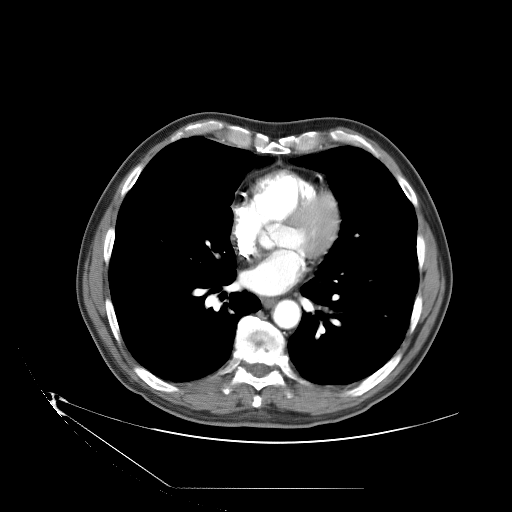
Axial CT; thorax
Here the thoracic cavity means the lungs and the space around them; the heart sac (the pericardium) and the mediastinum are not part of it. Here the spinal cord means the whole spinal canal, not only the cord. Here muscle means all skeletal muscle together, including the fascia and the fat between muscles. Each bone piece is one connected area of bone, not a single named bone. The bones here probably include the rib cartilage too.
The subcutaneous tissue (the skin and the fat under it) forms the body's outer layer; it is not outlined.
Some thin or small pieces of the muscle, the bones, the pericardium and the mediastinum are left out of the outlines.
Outlines:
pericardium: [[278,162],[317,172],[327,183],[337,202],[340,223],[337,237],[317,269],[310,277],[300,285],[288,291],[278,295],[265,296],[258,295],[251,291],[238,280],[238,263],[230,240],[233,224],[233,211],[231,206],[236,199],[238,188],[248,175]]
mediastinum 1: [[314,274],[313,277],[305,282],[299,290],[303,300],[303,313],[300,323],[297,326],[295,331],[287,339],[287,341],[282,332],[271,322],[262,319],[256,315],[249,314],[256,312],[262,306],[260,300],[255,294],[258,296],[265,297],[278,296],[300,286]]
mediastinum 2: [[251,149],[258,153],[273,155],[309,153],[291,158],[289,161],[292,164],[296,166],[305,168],[309,168],[315,171],[312,171],[278,161],[267,167],[252,171],[242,181],[247,173],[253,168],[255,167],[260,168],[266,166],[272,163],[274,160],[270,156],[265,155],[257,156],[250,150]]
muscle 1: [[134,166],[120,190],[122,201],[115,224],[110,226],[104,235],[102,255],[104,264],[108,267],[110,293],[110,297],[104,299],[104,307],[113,337],[119,345],[123,341],[139,364],[133,366],[133,371],[151,388],[166,393],[179,392],[181,389],[170,382],[189,382],[215,372],[219,376],[233,372],[221,385],[220,390],[225,395],[229,394],[235,386],[244,383],[252,386],[257,392],[264,387],[275,386],[282,390],[287,398],[292,398],[293,391],[287,386],[283,375],[303,385],[314,383],[348,386],[358,383],[344,390],[341,394],[343,396],[357,397],[373,388],[401,360],[403,354],[398,349],[406,332],[410,335],[414,331],[422,312],[423,299],[418,287],[426,243],[424,237],[417,232],[415,208],[418,207],[418,199],[415,191],[434,236],[445,279],[442,302],[426,340],[395,379],[381,390],[357,405],[318,416],[272,408],[257,408],[262,404],[262,398],[258,393],[252,397],[250,404],[254,408],[252,409],[214,414],[170,402],[144,388],[131,380],[115,362],[86,310],[82,293],[84,265],[97,227],[118,185]]
muscle 2: [[339,126],[354,130],[375,141],[393,158],[408,181],[402,175],[398,173],[393,175],[389,169],[379,159],[381,156],[380,152],[360,134],[351,133],[340,128],[336,128],[329,131],[327,133],[327,137],[332,142],[341,144],[323,148],[323,137],[320,131]]
muscle 3: [[184,125],[186,125],[185,125],[181,129],[177,130],[174,132],[169,137],[169,142],[170,143],[158,151],[157,153],[156,153],[146,164],[144,163],[138,163],[140,161],[141,158],[154,145],[160,142],[166,137],[169,136],[174,131],[177,130],[180,127]]
spinal cord: [[256,363],[259,363],[260,364],[264,364],[268,366],[269,367],[269,371],[265,375],[263,376],[261,376],[260,377],[258,377],[257,376],[255,376],[253,375],[249,371],[248,368],[249,367],[249,365],[251,365],[252,364],[255,364]]
thoracic cavity 1: [[193,136],[205,136],[273,160],[246,173],[230,205],[229,240],[236,259],[236,279],[257,297],[261,306],[238,320],[231,355],[223,366],[197,379],[174,382],[164,380],[141,365],[126,346],[111,299],[108,272],[115,225],[125,196],[158,152],[171,143]]
thoracic cavity 2: [[342,144],[361,148],[378,159],[395,178],[413,206],[417,222],[415,248],[418,286],[404,338],[384,364],[356,383],[318,384],[295,371],[285,350],[288,339],[302,321],[304,300],[300,290],[314,277],[338,237],[341,215],[326,176],[290,160]]
torso: [[205,111],[264,121],[324,116],[357,120],[389,138],[424,182],[450,252],[453,284],[449,304],[415,371],[365,412],[337,423],[303,429],[197,424],[170,415],[129,391],[100,355],[80,314],[75,290],[78,254],[89,217],[113,174],[144,139],[173,120]]
bones 1: [[246,315],[268,321],[281,332],[291,367],[310,383],[303,384],[283,374],[286,386],[292,391],[292,397],[287,397],[275,385],[267,385],[257,391],[244,382],[235,385],[227,394],[222,392],[223,383],[234,372],[219,375],[217,371],[230,359],[237,324]]; inner edge: [[256,363],[259,363],[260,364],[264,364],[268,366],[269,367],[269,371],[265,375],[263,376],[261,376],[260,377],[258,377],[257,376],[255,376],[253,375],[249,371],[248,368],[249,367],[249,365],[251,365],[252,364],[255,364]]
bones 2: [[208,120],[216,120],[225,125],[238,125],[253,133],[259,132],[264,134],[272,141],[307,131],[319,131],[322,137],[322,148],[302,153],[263,153],[253,148],[246,149],[224,143],[212,133],[183,137],[170,142],[170,137],[185,126]]
bones 3: [[398,351],[402,354],[400,360],[395,366],[395,367],[381,381],[360,395],[358,395],[357,396],[351,396],[350,395],[343,395],[342,394],[344,391],[351,389],[353,387],[355,387],[362,380],[379,369],[383,365],[384,365],[394,355],[396,352]]
bones 4: [[336,129],[340,129],[347,133],[350,133],[351,134],[357,134],[362,136],[379,152],[380,154],[379,158],[377,158],[370,152],[361,147],[358,147],[357,146],[354,146],[349,144],[343,144],[339,142],[334,142],[332,141],[328,137],[328,133]]
bones 5: [[135,365],[140,365],[142,366],[155,376],[162,379],[164,381],[166,381],[173,384],[175,386],[178,387],[180,389],[180,390],[179,391],[174,391],[173,392],[166,392],[165,391],[158,390],[151,387],[141,378],[140,378],[134,371],[133,368]]
bones 6: [[107,297],[110,298],[112,305],[113,306],[113,308],[114,309],[115,316],[116,317],[117,323],[119,327],[119,331],[122,338],[122,342],[121,344],[119,344],[114,337],[112,333],[109,322],[108,321],[107,313],[106,312],[106,308],[105,307],[105,299]]
bones 7: [[418,292],[420,293],[421,295],[421,298],[422,299],[422,307],[421,308],[421,312],[413,331],[410,334],[408,334],[407,333],[407,330],[409,327],[409,324],[410,323],[410,317],[411,316],[411,313],[413,308],[413,304],[414,303],[415,297]]
bones 8: [[110,227],[114,227],[114,240],[113,241],[113,246],[111,251],[111,256],[109,259],[109,263],[108,264],[108,266],[107,266],[105,264],[105,262],[104,261],[104,256],[103,255],[103,246],[104,245],[104,240],[105,239],[105,235],[106,234],[106,232]]
bones 9: [[138,164],[144,164],[145,165],[145,166],[139,174],[139,175],[138,176],[136,181],[134,183],[134,184],[131,187],[131,188],[126,193],[126,194],[122,199],[121,198],[121,190],[122,189],[122,187],[123,186],[127,177],[129,175],[129,174]]
bones 10: [[396,174],[398,174],[402,176],[409,183],[409,184],[413,189],[415,193],[416,198],[417,199],[417,207],[414,207],[412,203],[408,199],[408,198],[404,193],[403,190],[401,188],[400,185],[398,183],[396,178],[394,176]]
bones 11: [[417,233],[419,233],[423,237],[424,239],[424,242],[425,243],[425,252],[424,253],[424,259],[423,260],[423,264],[422,265],[422,268],[420,272],[419,272],[419,270],[418,269],[418,259],[417,258],[417,249],[416,248],[416,245],[417,244]]